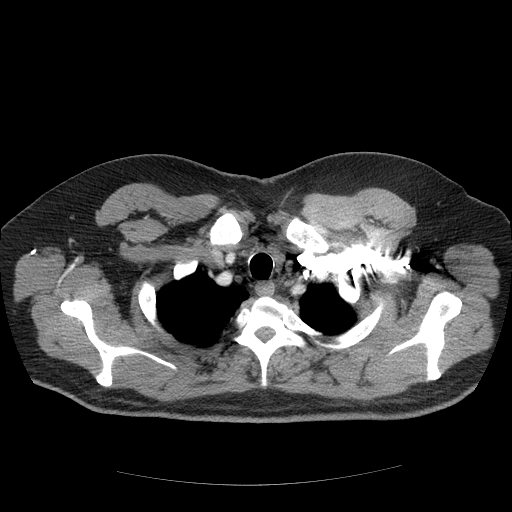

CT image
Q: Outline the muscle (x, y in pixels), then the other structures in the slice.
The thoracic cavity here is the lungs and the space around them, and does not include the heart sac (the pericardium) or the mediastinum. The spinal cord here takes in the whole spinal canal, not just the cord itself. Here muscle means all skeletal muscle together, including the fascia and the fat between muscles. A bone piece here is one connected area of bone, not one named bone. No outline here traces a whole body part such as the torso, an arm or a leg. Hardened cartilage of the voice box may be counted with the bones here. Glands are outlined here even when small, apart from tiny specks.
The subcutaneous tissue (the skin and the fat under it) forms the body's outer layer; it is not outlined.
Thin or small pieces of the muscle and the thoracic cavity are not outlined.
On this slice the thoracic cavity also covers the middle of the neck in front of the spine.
A: muscle: 133,182 177,196 224,196 259,214 305,193 390,190 415,206 437,240 481,244 495,255 501,290 492,343 444,373 444,328 463,306 444,289 416,332 384,356 425,349 428,382 398,394 356,400 257,389 160,402 106,388 118,357 176,365 102,339 82,297 65,298 59,308 81,322 100,368 93,377 47,355 14,301 14,269 29,250 79,240 104,200; inner edges: 296,216 330,246 306,252 329,270 336,286 343,271 361,292 353,308 356,321 382,304 378,322 357,343 338,350 309,341 307,349 281,346 269,358 268,385 262,388 259,361 231,339 236,331 231,323 214,343 196,346 166,337 144,315 140,282 153,280 157,291 173,278 178,261 195,258 199,266 216,249 243,249 259,240 280,251 303,252 286,237, then 225,212 230,212 235,216 242,230 242,232 243,233 242,237 236,244 231,244 229,243 228,244 221,244 220,245 217,245 216,244 215,245 211,245 209,243 209,239 207,235 209,231 209,229 214,221
bones 1: 261,296 270,296 287,305 326,336 346,331 378,304 382,304 382,313 369,334 345,348 336,350 309,341 307,349 293,345 279,347 269,358 268,385 262,388 259,361 249,348 231,339 236,330 230,323 241,307; inner edge: 263,327 268,327 269,328 271,328 274,331 274,333 273,334 273,335 269,339 268,339 265,341 263,341 262,340 261,340 256,335 256,334 255,333 257,330 258,330 260,328 262,328
bones 2: 444,290 452,292 460,298 462,306 459,313 449,320 443,328 444,345 438,359 439,368 443,373 435,380 425,381 427,357 426,349 422,343 399,350 389,356 387,360 384,359 394,346 411,338 417,332 432,298
bones 3: 74,298 82,298 90,305 94,329 102,340 112,345 122,344 144,350 171,362 177,369 141,354 118,356 112,364 112,386 105,387 98,383 94,377 102,366 98,351 88,338 82,322 65,314 60,308 63,300
bones 4: 296,216 300,218 300,219 304,222 311,224 325,237 327,240 327,242 330,246 329,250 325,252 317,252 316,251 311,252 310,251 304,251 302,248 298,247 295,244 290,242 288,240 286,237 286,229 289,222
bones 5: 225,212 230,212 235,216 242,230 242,232 243,233 242,237 236,244 231,244 229,243 228,244 221,244 220,245 217,245 216,244 215,245 211,245 209,243 209,239 207,235 209,231 209,229 214,221
bones 6: 146,278 153,280 154,286 156,289 155,305 156,306 156,313 157,314 157,317 161,325 166,331 171,334 174,339 170,339 166,337 162,333 157,330 146,318 139,305 139,303 138,302 138,290 139,289 140,282
bones 7: 341,271 343,271 349,276 350,278 350,280 352,284 361,292 360,297 357,301 354,307 352,307 348,303 347,303 339,295 338,293 338,290 336,286 338,285 338,283 339,282 339,273
bones 8: 195,258 197,259 197,266 195,270 192,273 178,280 176,280 173,278 172,276 172,273 173,272 173,268 174,267 174,265 178,261 180,261 181,262 186,262 187,261 189,261
thyroid glands: 258,243 262,243 262,245 265,248 267,247 267,244 269,244 278,249 284,254 284,261 282,263 282,267 279,271 276,271 276,261 270,254 268,250 264,249 263,250 259,250 247,257 239,255 239,252 241,252
thoracic cavity: 247,247 239,256 268,251 276,272 285,261 281,251 313,255 331,273 338,295 353,308 356,322 340,333 326,335 287,304 261,295 238,309 214,343 196,346 176,339 158,317 157,291 172,279 192,274 216,249
spinal cord: 263,327 268,327 269,328 271,328 274,331 274,333 273,334 273,335 269,339 268,339 265,341 263,341 262,340 261,340 256,335 256,334 255,333 257,330 258,330 260,328 262,328